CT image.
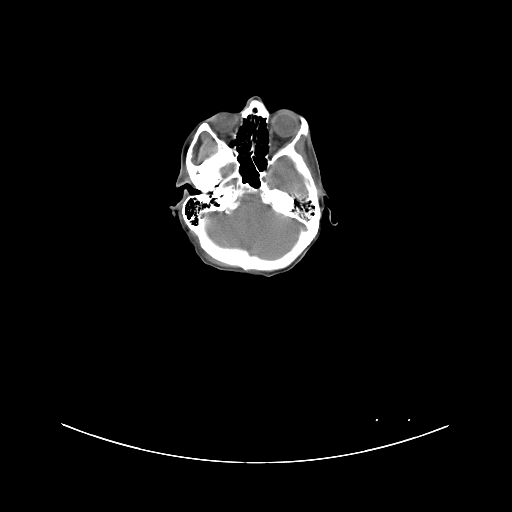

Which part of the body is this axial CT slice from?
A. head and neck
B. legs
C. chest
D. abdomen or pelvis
A. head and neck
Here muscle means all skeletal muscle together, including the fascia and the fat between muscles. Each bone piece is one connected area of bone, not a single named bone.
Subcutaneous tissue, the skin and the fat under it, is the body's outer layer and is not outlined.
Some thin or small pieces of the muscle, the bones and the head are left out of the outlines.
The bones are outlined by [[249,99],[262,101],[270,112],[266,125],[258,118],[254,161],[261,170],[267,152],[296,135],[299,116],[307,121],[308,134],[301,135],[294,147],[310,171],[321,211],[312,241],[291,263],[270,271],[245,270],[212,257],[200,246],[181,212],[186,190],[197,192],[189,182],[185,157],[204,121],[220,139],[237,146],[243,181],[258,185],[259,175],[251,158],[244,155],[251,147],[254,128],[247,118],[242,125],[240,119]], around holes outlined by [[246,194],[257,196],[260,201],[264,205],[268,205],[275,214],[294,219],[303,225],[294,243],[281,255],[273,258],[262,257],[250,253],[243,247],[221,245],[209,235],[207,231],[209,219],[206,214],[216,212],[229,215],[240,205],[240,198]] and by [[282,157],[286,157],[292,163],[293,167],[296,172],[301,176],[302,178],[303,187],[306,192],[305,194],[301,191],[299,191],[297,189],[293,189],[290,191],[287,191],[279,187],[271,186],[270,185],[270,176],[271,176],[273,173],[273,167],[276,162]] and by [[203,132],[206,132],[208,133],[213,139],[213,140],[215,142],[215,150],[212,153],[205,157],[201,161],[201,162],[200,162],[198,164],[195,164],[192,161],[192,157],[193,156],[193,150],[194,149],[194,147],[196,143],[199,139],[199,137],[201,133]] and by [[231,165],[232,166],[232,168],[231,169],[231,170],[229,172],[228,172],[225,175],[223,175],[223,174],[222,173],[222,169],[223,168],[224,168],[225,167],[227,167],[228,166],[230,166]]. The head is outlined by [[253,95],[261,96],[270,112],[291,107],[307,117],[329,196],[325,203],[337,223],[329,222],[326,209],[319,240],[293,269],[272,277],[241,275],[206,265],[169,209],[184,189],[197,192],[187,184],[175,186],[182,144],[190,130],[219,109],[240,111]] with holes at [[245,119],[247,119],[246,123],[248,125],[251,124],[253,132],[248,138],[250,147],[243,155],[248,156],[251,160],[258,175],[257,185],[244,181],[240,171],[241,163],[239,160],[240,153],[238,146],[235,144],[232,145],[237,139],[238,132],[244,124]] and at [[259,118],[262,118],[264,120],[265,127],[267,131],[267,151],[264,155],[265,165],[261,169],[255,161],[255,157],[256,156],[255,146],[256,145],[256,142],[259,137],[258,136],[258,134],[259,133],[259,128],[260,127],[260,121],[259,120]]. The muscle appears in 3 outlined pieces: piece 1: [[203,132],[206,132],[208,133],[213,139],[213,140],[215,142],[215,150],[212,153],[205,157],[201,161],[201,162],[200,162],[198,164],[195,164],[192,161],[192,157],[193,156],[193,150],[194,149],[194,147],[196,143],[199,139],[199,137],[201,133]]; piece 2: [[301,136],[307,137],[309,147],[313,154],[314,165],[317,172],[317,175],[318,176],[318,184],[321,192],[320,197],[319,197],[319,191],[318,190],[318,188],[313,178],[311,171],[307,165],[303,156],[297,151],[295,147],[297,142],[300,139]]; piece 3: [[190,231],[192,232],[196,236],[199,246],[208,255],[209,255],[212,258],[227,265],[222,265],[221,264],[218,264],[217,263],[212,262],[210,260],[209,260],[203,254],[202,251],[200,249],[198,244],[196,242],[194,237],[192,235]]. The brain appears in 3 outlined pieces: piece 1: [[246,194],[257,196],[260,201],[264,205],[268,205],[275,214],[294,219],[303,225],[294,243],[281,255],[273,258],[262,257],[250,253],[243,247],[221,245],[209,235],[207,231],[209,219],[206,214],[216,212],[229,215],[240,205],[240,198]]; piece 2: [[282,157],[286,157],[292,163],[293,167],[296,172],[301,176],[302,178],[303,187],[306,192],[305,194],[301,191],[299,191],[297,189],[293,189],[290,191],[287,191],[279,187],[271,186],[270,185],[270,176],[271,176],[273,173],[273,167],[276,162]]; piece 3: [[231,165],[232,166],[232,168],[231,169],[231,170],[229,172],[228,172],[225,175],[223,175],[223,174],[222,173],[222,169],[223,168],[224,168],[225,167],[227,167],[228,166],[230,166]].